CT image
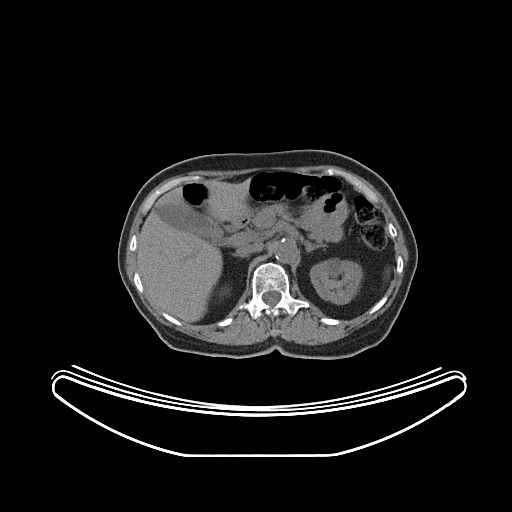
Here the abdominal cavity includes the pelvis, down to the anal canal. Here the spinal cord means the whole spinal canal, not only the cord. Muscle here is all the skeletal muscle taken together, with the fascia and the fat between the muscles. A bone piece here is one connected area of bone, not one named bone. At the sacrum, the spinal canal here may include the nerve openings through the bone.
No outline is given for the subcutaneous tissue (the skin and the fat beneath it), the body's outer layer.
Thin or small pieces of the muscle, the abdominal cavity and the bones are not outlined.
Outlined structures:
bones 1: 265,262 274,262 284,268 289,278 289,291 291,296 308,301 308,307 301,307 294,315 290,315 282,311 275,317 272,317 263,312 255,319 251,317 246,309 239,308 240,304 247,302 252,296 251,279 255,268, around a hole outlined by 269,291 276,291 277,292 278,292 280,294 280,299 274,305 273,305 272,306 271,306 270,305 269,305 267,303 266,303 263,300 263,299 262,298 262,296 263,295 263,294 264,293 265,293 266,292 268,292
bones 2: 195,175 199,176 200,177 199,178 195,180 192,180 187,182 182,182 164,191 154,200 152,205 145,214 142,212 142,207 147,198 156,189 159,188 163,184 172,179 176,179 177,178 183,177 184,176 194,176
bones 3: 328,168 333,168 334,169 338,169 339,170 344,171 347,173 351,174 353,176 359,179 377,196 377,198 378,199 377,202 372,202 364,193 361,192 356,187 347,181 343,177 339,175 330,174 326,172 325,170
bones 4: 384,295 386,295 387,296 387,299 386,300 386,301 383,304 383,305 381,307 380,307 377,310 376,310 374,312 373,312 372,313 371,313 370,314 369,313 369,310
bones 5: 135,272 138,272 138,273 139,274 139,277 140,278 140,279 141,280 141,282 142,283 142,285 143,286 143,292 139,292 138,291 138,290 136,288 136,286 135,285 135,284 134,283 134,273
bones 6: 322,317 329,317 330,318 335,318 336,319 339,319 340,320 340,322 338,324 333,324 332,325 331,325 330,324 325,324 324,323 323,323 322,322 321,322 320,321 320,318 321,318
bones 7: 162,312 165,312 166,313 167,313 169,315 172,316 174,318 175,318 176,319 177,319 179,321 180,321 181,322 181,325 177,325 176,324 173,323 171,321 168,320 166,318 165,318 163,316 163,315 162,314
bones 8: 388,223 391,223 394,226 394,227 395,228 395,229 396,230 396,231 397,232 397,235 395,237 394,237 393,238 392,238 391,237 391,236 390,235 390,234 389,233 389,231 388,230 388,226 387,225 387,224
spinal cord: 269,291 276,291 277,292 278,292 280,294 280,299 274,305 273,305 272,306 271,306 270,305 269,305 267,303 266,303 263,300 263,299 262,298 262,296 263,295 263,294 264,293 265,293 266,292 268,292
muscle 1: 312,165 333,165 334,166 338,166 364,178 384,197 385,200 389,205 392,212 394,214 403,233 404,242 408,251 408,261 405,267 404,275 401,284 399,287 399,289 389,307 382,314 378,316 375,319 372,320 364,326 362,326 354,330 348,335 335,341 325,343 324,344 320,344 319,345 306,345 305,344 299,344 298,343 295,343 293,341 287,341 279,336 276,337 270,336 261,342 258,342 253,344 249,344 248,345 226,345 225,344 219,344 213,342 208,342 204,340 201,340 192,337 189,335 177,331 159,322 143,304 135,288 130,282 125,268 125,253 126,252 126,246 127,245 127,240 129,236 130,228 133,219 135,216 135,214 139,206 149,192 159,183 167,178 176,175 179,175 180,174 185,174 190,171 194,171 195,170 238,170 239,169 246,169 247,168 253,168 254,167 270,167 271,166 298,167 299,166 311,166 with a hole at 328,168 349,173 365,184 377,196 374,203 386,223 391,223 397,232 392,239 394,255 401,256 403,269 399,274 394,269 384,293 387,299 374,312 370,314 368,309 341,319 338,324 325,324 320,318 327,316 309,300 309,306 301,307 294,315 282,311 272,317 263,312 254,319 246,309 239,308 252,296 248,280 239,299 225,316 232,318 231,323 219,326 216,322 192,324 182,321 177,325 163,316 163,311 145,289 139,292 136,288 136,251 131,251 129,244 134,234 137,238 140,235 146,215 142,212 144,203 166,182 195,175 227,178 262,170 309,172
muscle 2: 293,284 295,284 296,285 299,292 301,294 302,294 302,295 306,299 302,299 301,298 299,298 298,297 294,297 293,296 292,296 292,295 291,294 291,292 290,291 290,288 291,287 291,285 292,285
abdominal cavity: 262,170 324,171 343,178 379,209 393,242 395,268 384,294 369,309 348,319 327,316 291,284 285,268 274,261 254,268 235,305 216,322 181,321 152,301 138,271 136,250 141,224 155,200 201,177 227,178
torso: 296,149 329,150 359,161 388,183 404,211 417,244 417,266 406,299 390,331 379,344 355,355 338,359 290,357 277,350 247,358 213,357 169,347 136,308 118,270 120,233 135,195 158,171 187,158 204,154